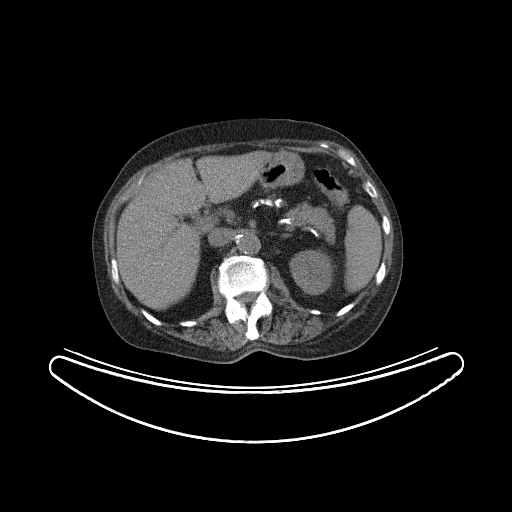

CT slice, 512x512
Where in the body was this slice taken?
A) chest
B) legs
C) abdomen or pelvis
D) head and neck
C) abdomen or pelvis
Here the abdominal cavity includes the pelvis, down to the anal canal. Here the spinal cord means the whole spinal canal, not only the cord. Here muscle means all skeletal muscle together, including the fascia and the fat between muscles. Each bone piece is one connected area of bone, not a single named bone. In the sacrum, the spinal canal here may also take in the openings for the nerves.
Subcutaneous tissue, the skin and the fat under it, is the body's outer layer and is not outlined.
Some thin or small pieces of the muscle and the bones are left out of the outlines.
The spinal cord is outlined by (244, 292) (253, 292) (256, 294) (256, 297) (255, 298) (255, 299) (254, 300) (254, 302) (253, 303) (252, 303) (251, 304) (249, 304) (248, 305) (247, 305) (246, 304) (242, 304) (236, 298) (236, 297) (237, 297) (239, 295) (240, 295) (241, 294) (242, 294). The bones appear in 7 outlined pieces: piece 1: (233, 255) (247, 255) (261, 258) (268, 272) (268, 285) (265, 293) (272, 304) (272, 311) (269, 315) (261, 316) (256, 321) (259, 334) (257, 339) (250, 340) (245, 336) (247, 329) (245, 321) (239, 319) (230, 323) (224, 313) (226, 299) (218, 289) (218, 267) (225, 257) with a hole at (244, 292) (253, 292) (256, 294) (256, 297) (255, 298) (255, 299) (254, 300) (254, 302) (253, 303) (252, 303) (251, 304) (249, 304) (248, 305) (247, 305) (246, 304) (242, 304) (236, 298) (236, 297) (237, 297) (239, 295) (240, 295) (241, 294) (242, 294); piece 2: (382, 261) (383, 261) (385, 264) (385, 276) (384, 277) (384, 278) (383, 279) (383, 280) (381, 282) (381, 283) (379, 285) (377, 285) (376, 284) (376, 282) (375, 281) (375, 277) (376, 276) (376, 273) (377, 272) (377, 271) (378, 270) (378, 269) (380, 266) (380, 264); piece 3: (338, 149) (343, 149) (344, 150) (345, 150) (354, 159) (354, 160) (355, 161) (355, 162) (356, 163) (356, 166) (355, 167) (354, 167) (353, 166) (352, 166) (350, 164) (349, 164) (344, 159) (343, 159) (341, 157) (340, 157) (339, 156) (339, 155) (337, 153) (337, 150); piece 4: (112, 258) (114, 258) (115, 259) (115, 260) (116, 261) (116, 262) (117, 263) (117, 272) (118, 273) (118, 276) (119, 277) (119, 283) (118, 284) (117, 284) (116, 283) (115, 283) (113, 281) (113, 280) (112, 279) (112, 273) (111, 272) (111, 259); piece 5: (367, 180) (368, 180) (373, 185) (373, 186) (375, 188) (375, 189) (376, 190) (376, 192) (377, 193) (377, 197) (376, 198) (372, 198) (366, 192) (366, 191) (364, 189) (364, 188) (363, 187) (363, 186) (364, 185) (364, 183); piece 6: (141, 309) (144, 309) (147, 312) (148, 312) (150, 314) (151, 314) (154, 317) (155, 317) (157, 319) (158, 319) (161, 322) (161, 325) (156, 325) (155, 324) (154, 324) (153, 323) (152, 323) (150, 321) (149, 321) (144, 316) (144, 315) (142, 313) (142, 312) (141, 311); piece 7: (351, 302) (353, 302) (354, 303) (354, 305) (353, 306) (353, 307) (351, 309) (350, 309) (347, 312) (346, 312) (344, 314) (343, 314) (342, 315) (340, 315) (339, 316) (337, 316) (336, 315) (336, 312) (338, 310) (339, 310) (343, 306) (344, 306) (345, 305) (346, 305). The abdominal cavity is outlined by (275, 145) (337, 156) (360, 178) (383, 231) (381, 261) (368, 287) (336, 311) (321, 311) (298, 303) (271, 263) (267, 268) (261, 257) (233, 254) (211, 270) (212, 306) (197, 317) (168, 322) (136, 305) (120, 281) (114, 232) (118, 212) (144, 180) (176, 158) (236, 146). The torso is outlined by (251, 117) (307, 120) (331, 127) (360, 149) (384, 183) (395, 204) (403, 236) (401, 279) (388, 313) (375, 333) (358, 348) (313, 360) (255, 351) (233, 363) (219, 364) (141, 349) (127, 343) (111, 327) (97, 293) (91, 237) (101, 200) (126, 161) (150, 141) (190, 125). The muscle is outlined by (271, 138) (287, 138) (288, 139) (300, 139) (301, 140) (330, 140) (334, 141) (346, 148) (348, 148) (358, 157) (365, 170) (370, 175) (380, 190) (387, 208) (390, 213) (393, 223) (394, 244) (392, 251) (392, 264) (391, 265) (391, 269) (385, 279) (384, 284) (381, 290) (372, 299) (368, 305) (366, 311) (363, 314) (351, 321) (338, 331) (333, 332) (331, 334) (326, 336) (327, 334) (326, 331) (317, 336) (312, 340) (313, 341) (317, 341) (313, 343) (310, 343) (309, 341) (306, 341) (299, 343) (289, 343) (284, 345) (279, 345) (278, 344) (273, 344) (269, 342) (265, 342) (261, 340) (256, 340) (255, 341) (250, 341) (236, 350) (219, 351) (211, 349) (205, 346) (200, 346) (179, 338) (164, 337) (147, 329) (141, 324) (137, 317) (132, 314) (117, 298) (111, 287) (110, 279) (107, 275) (107, 269) (104, 259) (104, 249) (103, 248) (103, 225) (107, 210) (114, 196) (127, 180) (140, 168) (147, 164) (152, 163) (159, 159) (168, 156) (177, 151) (195, 146) (213, 144) (214, 143) (228, 143) (229, 142) (237, 142) (238, 141) (252, 141) (253, 140) (262, 140) (263, 139) (270, 139), around a hole outlined by (275, 145) (338, 157) (337, 150) (343, 149) (354, 159) (355, 167) (347, 164) (350, 171) (360, 178) (363, 186) (367, 180) (373, 185) (377, 197) (371, 201) (390, 224) (389, 233) (383, 234) (381, 260) (385, 276) (381, 283) (377, 285) (374, 279) (342, 315) (337, 316) (335, 311) (312, 314) (309, 307) (291, 296) (279, 270) (270, 263) (265, 293) (272, 311) (258, 318) (259, 336) (250, 340) (245, 336) (246, 322) (239, 319) (230, 323) (224, 313) (226, 299) (218, 289) (218, 271) (214, 267) (209, 276) (212, 306) (193, 319) (195, 325) (182, 326) (163, 320) (156, 325) (149, 321) (128, 297) (121, 282) (113, 281) (111, 272) (117, 215) (140, 189) (136, 185) (139, 177) (143, 175) (145, 180) (176, 158) (236, 146).